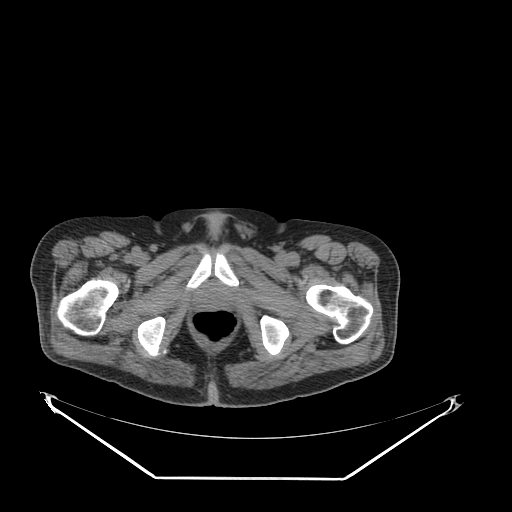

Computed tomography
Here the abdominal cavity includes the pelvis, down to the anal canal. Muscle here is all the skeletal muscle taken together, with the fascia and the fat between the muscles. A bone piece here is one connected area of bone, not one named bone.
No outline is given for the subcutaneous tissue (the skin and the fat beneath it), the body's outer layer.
{"muscle":[{"outer":[[85,227],[120,233],[153,255],[179,245],[222,241],[248,246],[274,257],[292,251],[303,238],[314,234],[356,238],[370,247],[380,260],[383,350],[368,364],[330,370],[259,390],[234,388],[225,375],[227,364],[253,358],[254,350],[244,327],[229,345],[208,357],[192,338],[189,325],[181,325],[170,344],[170,353],[195,366],[198,377],[194,387],[153,383],[115,367],[66,358],[55,353],[49,341],[51,250],[62,236]],"holes":[[[314,284],[328,284],[333,286],[342,284],[349,288],[354,294],[362,296],[371,303],[373,307],[373,312],[370,322],[366,329],[357,339],[347,344],[341,344],[334,339],[332,334],[333,327],[332,320],[327,315],[314,310],[306,301],[305,293],[308,288]],[[211,281],[219,283],[227,287],[232,292],[235,298],[235,306],[239,314],[239,321],[238,322],[237,329],[229,340],[217,349],[211,349],[209,347],[204,345],[198,339],[198,338],[196,337],[191,327],[192,300],[200,288],[201,288],[202,286],[205,284]],[[93,278],[96,279],[105,279],[114,282],[117,285],[119,289],[119,294],[117,298],[107,310],[104,322],[101,329],[98,333],[93,336],[82,336],[74,333],[70,329],[65,327],[58,318],[56,314],[56,310],[59,301],[64,296],[76,290],[83,283]],[[217,252],[219,252],[225,256],[230,267],[233,270],[234,273],[238,278],[239,284],[237,286],[229,286],[226,285],[217,277],[212,274],[196,288],[186,290],[185,289],[185,286],[203,255],[205,253],[208,253],[211,256],[213,261],[215,259],[215,255]],[[156,316],[163,316],[165,318],[165,327],[163,332],[163,337],[161,342],[161,346],[164,348],[166,348],[167,349],[167,352],[165,354],[160,354],[156,356],[148,356],[146,351],[142,347],[138,340],[137,328],[141,322],[147,319],[153,318]],[[264,314],[267,314],[270,316],[272,316],[273,317],[275,317],[282,320],[286,324],[289,330],[289,336],[285,340],[284,344],[280,352],[275,355],[272,355],[270,354],[265,349],[262,343],[262,339],[261,338],[261,328],[260,327],[260,319]]]}],"bones":[[[314,284],[328,284],[333,286],[342,284],[349,288],[354,294],[362,296],[371,303],[373,307],[373,312],[370,322],[366,329],[357,339],[347,344],[341,344],[334,339],[332,334],[333,327],[332,320],[327,315],[314,310],[306,301],[305,293],[308,288]],[[93,278],[96,279],[105,279],[114,282],[117,285],[119,289],[119,294],[117,298],[107,310],[104,322],[101,329],[98,333],[93,336],[82,336],[74,333],[70,329],[65,327],[58,318],[56,314],[56,310],[59,301],[64,296],[76,290],[83,283]],[[217,252],[219,252],[225,256],[230,267],[233,270],[234,273],[238,278],[239,284],[237,286],[229,286],[226,285],[217,277],[212,274],[196,288],[186,290],[185,289],[185,286],[203,255],[205,253],[208,253],[211,256],[213,261],[215,259],[215,255]],[[156,316],[163,316],[165,318],[165,327],[163,332],[163,337],[161,342],[161,346],[164,348],[166,348],[167,349],[167,352],[165,354],[160,354],[156,356],[148,356],[146,351],[142,347],[138,340],[137,328],[141,322],[147,319],[153,318]],[[264,314],[267,314],[270,316],[272,316],[273,317],[275,317],[282,320],[286,324],[289,330],[289,336],[285,340],[284,344],[280,352],[275,355],[272,355],[270,354],[265,349],[262,343],[262,339],[261,338],[261,328],[260,327],[260,319]]],"abdominal_cavity":[[[211,281],[219,283],[227,287],[232,292],[235,298],[235,306],[239,314],[239,321],[238,322],[237,329],[229,340],[217,349],[211,349],[209,347],[204,345],[198,339],[198,338],[196,337],[191,327],[192,300],[200,288],[201,288],[202,286],[205,284]]],"torso":[[[203,207],[244,207],[279,220],[341,223],[381,238],[393,252],[400,271],[397,335],[391,361],[368,376],[321,393],[265,406],[230,408],[163,402],[49,360],[39,342],[29,277],[33,252],[48,229],[63,220],[85,215],[148,215],[157,219],[172,210]]]}